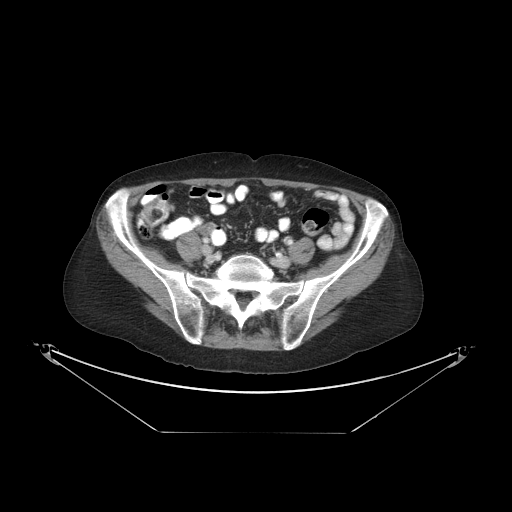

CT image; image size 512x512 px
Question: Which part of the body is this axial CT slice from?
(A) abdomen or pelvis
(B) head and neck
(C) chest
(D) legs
Answer: (A) abdomen or pelvis
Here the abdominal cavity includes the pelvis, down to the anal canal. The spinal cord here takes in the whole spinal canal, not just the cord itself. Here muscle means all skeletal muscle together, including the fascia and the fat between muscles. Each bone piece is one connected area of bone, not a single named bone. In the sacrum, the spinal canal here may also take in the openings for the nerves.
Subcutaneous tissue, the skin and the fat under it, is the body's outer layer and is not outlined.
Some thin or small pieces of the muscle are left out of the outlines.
The bones are outlined by 121 187; 144 255; 202 277; 240 253; 259 257; 276 281; 324 276; 354 250; 366 199; 381 202; 388 216; 367 251; 322 293; 297 347; 282 347; 281 307; 250 316; 239 329; 204 300; 198 345; 185 339; 164 284; 113 232; 104 204; inner edge: 233 290; 235 290; 236 291; 241 291; 243 293; 246 293; 249 291; 252 291; 254 293; 256 293; 256 294; 255 294; 250 299; 250 300; 247 303; 245 307; 243 309; 241 309; 237 301; 237 298; 233 296; 231 294; 231 292. The spinal cord is outlined by 233 290; 235 290; 236 291; 241 291; 243 293; 246 293; 249 291; 252 291; 254 293; 256 293; 256 294; 255 294; 250 299; 250 300; 247 303; 245 307; 243 309; 241 309; 237 301; 237 298; 233 296; 231 294; 231 292. The abdominal cavity is outlined by 251 180; 266 186; 333 190; 347 196; 361 216; 350 247; 308 268; 297 276; 297 280; 274 279; 273 269; 251 252; 230 255; 215 269; 213 276; 198 275; 182 262; 166 258; 159 249; 143 245; 134 232; 138 200; 155 185; 229 187; inner edge: 193 231; 194 232; 196 232; 200 240; 200 247; 199 248; 199 250; 200 251; 200 256; 199 258; 194 260; 191 265; 189 265; 184 261; 178 252; 176 248; 176 241; 178 238; 180 237; 180 236; 184 234; 186 234; 189 232; 192 232. The muscle appears in 6 outlined pieces: piece 1: 244 176; 258 176; 333 185; 370 196; 364 201; 365 216; 358 240; 351 253; 336 269; 331 272; 307 279; 299 279; 298 276; 300 274; 310 268; 317 267; 330 256; 341 254; 347 251; 351 247; 360 229; 362 224; 362 216; 350 198; 339 191; 319 187; 308 189; 285 185; 266 185; 260 180; 251 179; 237 181; 229 186; 220 184; 194 185; 187 183; 158 183; 144 191; 138 198; 135 205; 133 215; 133 232; 135 236; 143 246; 159 250; 166 259; 172 262; 180 262; 187 269; 178 270; 164 268; 152 261; 141 250; 133 237; 128 220; 128 200; 130 191; 127 187; 124 186; 140 185; 157 180; 188 179; 199 177; 230 178; piece 2: 389 212; 395 226; 395 236; 392 248; 388 255; 387 260; 380 275; 369 286; 345 304; 344 311; 336 321; 314 335; 304 343; 301 344; 304 336; 311 325; 314 312; 321 296; 332 284; 368 251; 379 234; 385 220; 389 216; piece 3: 103 204; 107 220; 112 229; 113 234; 129 251; 134 254; 143 263; 165 287; 171 303; 174 320; 184 339; 169 326; 150 313; 142 305; 143 300; 140 292; 131 283; 119 274; 106 259; 105 254; 100 246; 95 227; 96 217; piece 4: 203 301; 210 306; 216 306; 231 316; 236 321; 236 325; 239 330; 243 328; 245 322; 250 317; 259 317; 267 311; 275 311; 281 308; 280 342; 283 350; 261 351; 249 350; 243 348; 220 349; 200 345; 202 343; 202 337; 204 334; piece 5: 193 231; 194 232; 196 232; 200 240; 200 247; 199 248; 199 250; 200 251; 200 256; 199 258; 194 260; 191 265; 189 265; 184 261; 178 252; 176 248; 176 241; 178 238; 180 237; 180 236; 184 234; 186 234; 189 232; 192 232; piece 6: 303 237; 307 237; 309 238; 313 242; 314 244; 314 247; 315 248; 315 250; 314 251; 314 253; 311 259; 305 265; 303 266; 301 266; 300 265; 295 264; 292 261; 288 253; 288 248; 290 246; 291 246; 292 244; 293 244; 295 241. The torso is outlined by 211 151; 242 152; 253 158; 270 153; 303 156; 333 165; 381 188; 399 212; 404 241; 420 271; 424 299; 417 323; 388 341; 330 365; 287 374; 246 374; 198 370; 167 362; 75 321; 63 301; 63 275; 103 190; 129 171.